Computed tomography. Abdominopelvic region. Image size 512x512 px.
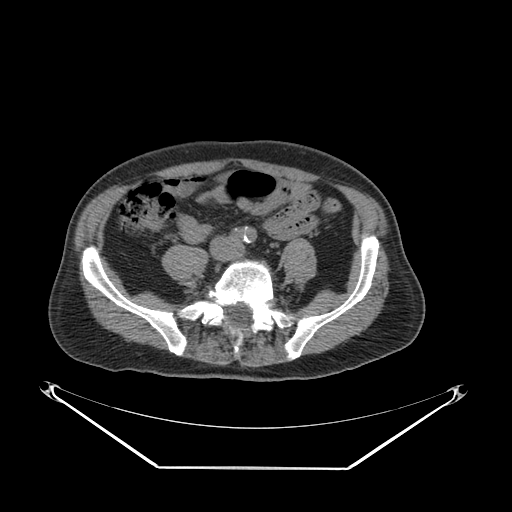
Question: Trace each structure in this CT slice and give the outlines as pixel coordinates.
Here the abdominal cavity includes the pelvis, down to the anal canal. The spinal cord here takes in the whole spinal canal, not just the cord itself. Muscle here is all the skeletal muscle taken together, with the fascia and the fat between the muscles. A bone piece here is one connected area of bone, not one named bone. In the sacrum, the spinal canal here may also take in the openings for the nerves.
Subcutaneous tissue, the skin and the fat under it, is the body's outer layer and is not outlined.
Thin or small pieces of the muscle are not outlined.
Answer: {"bones":[[[363,233],[379,242],[370,288],[321,326],[293,360],[284,344],[296,325],[254,333],[252,310],[243,302],[225,308],[241,327],[237,354],[236,336],[226,327],[176,314],[205,299],[228,265],[245,259],[270,268],[275,308],[296,320],[329,312],[356,285]],[[89,245],[94,245],[96,247],[106,275],[114,286],[125,297],[138,305],[150,309],[159,309],[174,313],[177,325],[187,341],[187,344],[181,356],[178,356],[169,351],[163,337],[144,318],[117,305],[90,284],[85,278],[83,274],[81,259],[83,250]]],"abdominal_cavity":[{"outer":[[229,163],[297,182],[321,181],[345,196],[353,206],[354,244],[345,291],[322,288],[305,305],[291,308],[275,295],[271,268],[250,258],[230,262],[202,299],[175,303],[149,290],[127,291],[103,253],[104,228],[114,204],[129,189],[151,180],[205,175]],"hole":[[298,238],[303,238],[307,240],[313,247],[314,253],[317,260],[316,273],[315,275],[306,283],[305,286],[302,288],[288,288],[285,286],[281,288],[280,286],[284,281],[284,277],[285,276],[283,267],[280,265],[280,259],[282,252],[288,243],[292,240]]}],"torso":[[[257,139],[289,141],[327,152],[358,169],[380,189],[395,214],[405,254],[425,298],[424,321],[412,343],[385,357],[336,374],[263,382],[169,377],[133,370],[110,371],[68,356],[50,331],[47,304],[70,217],[90,185],[117,164],[163,146],[195,140]]],"muscle":[[[229,157],[295,167],[340,180],[364,191],[381,206],[388,224],[383,244],[389,264],[389,290],[381,312],[360,334],[323,352],[301,356],[306,344],[321,327],[352,308],[368,293],[379,255],[377,236],[364,232],[360,235],[360,266],[348,296],[329,311],[296,319],[292,313],[274,306],[275,296],[295,310],[305,306],[322,289],[336,293],[346,291],[355,249],[352,237],[354,206],[341,191],[321,180],[297,181],[239,162],[229,162],[218,170],[200,175],[154,178],[129,188],[113,204],[105,222],[102,253],[130,295],[149,291],[170,303],[189,302],[176,311],[175,314],[176,316],[226,328],[235,336],[235,355],[243,341],[242,327],[247,324],[254,334],[269,332],[275,325],[284,329],[294,324],[293,333],[283,344],[288,361],[252,367],[242,366],[237,361],[212,365],[183,357],[188,341],[175,313],[138,304],[125,296],[107,275],[94,244],[87,245],[81,252],[84,278],[117,306],[144,319],[162,337],[169,352],[125,341],[96,322],[84,297],[78,258],[73,249],[75,228],[86,205],[124,178],[183,163]],[[298,238],[303,238],[307,240],[313,247],[314,253],[317,260],[316,273],[315,275],[306,283],[305,286],[302,288],[288,288],[285,286],[281,288],[280,286],[284,281],[284,277],[285,276],[283,267],[280,265],[280,259],[282,252],[288,243],[292,240]],[[178,244],[201,248],[203,249],[207,254],[207,262],[201,275],[200,280],[199,282],[194,286],[188,286],[185,284],[181,284],[179,283],[176,280],[173,279],[165,271],[164,268],[162,266],[162,264],[161,263],[161,258],[163,254],[171,246],[177,245]]],"spinal_cord":[[[238,303],[243,303],[245,305],[249,307],[251,310],[251,315],[250,316],[250,319],[249,321],[245,325],[243,326],[236,326],[234,325],[230,321],[229,319],[229,316],[226,312],[227,311],[226,310],[226,308],[230,306],[234,306]]]}